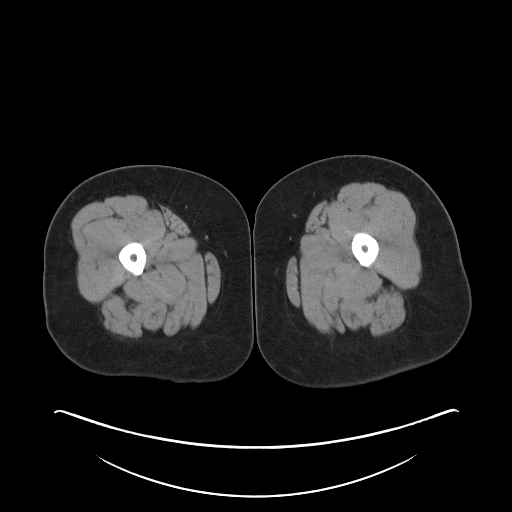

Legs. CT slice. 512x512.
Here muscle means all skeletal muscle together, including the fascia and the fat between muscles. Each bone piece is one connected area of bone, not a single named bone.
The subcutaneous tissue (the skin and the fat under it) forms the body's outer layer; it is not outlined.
Outlines (x, y in pixels):
bones 1: 357 232; 365 232; 366 233; 368 233; 376 239; 378 243; 378 245; 379 246; 379 250; 378 251; 378 253; 377 254; 377 256; 375 260; 368 267; 366 267; 365 266; 362 266; 356 259; 351 250; 351 241; 352 240; 352 238; 354 234
bones 2: 132 241; 136 241; 137 242; 139 242; 141 243; 146 253; 146 261; 145 262; 144 269; 142 273; 139 275; 134 275; 132 273; 128 271; 122 265; 122 264; 120 262; 118 258; 118 253; 121 249; 121 248; 127 243; 129 242; 131 242
left leg: 354 153; 377 155; 398 161; 417 172; 434 189; 448 211; 457 234; 462 262; 471 289; 471 315; 457 345; 447 355; 429 365; 365 385; 340 389; 310 389; 296 385; 278 375; 261 355; 255 340; 254 214; 265 192; 287 173; 318 159
muscle 1: 366 181; 377 182; 387 188; 402 192; 417 210; 415 239; 420 250; 422 275; 413 296; 409 317; 401 329; 379 341; 364 346; 331 345; 301 332; 290 321; 285 301; 286 265; 304 231; 305 222; 312 208; 337 187; 350 182; inner edge: 357 232; 365 232; 366 233; 368 233; 376 239; 378 243; 378 245; 379 246; 379 250; 378 251; 378 253; 377 254; 377 256; 375 260; 368 267; 366 267; 365 266; 362 266; 356 259; 351 250; 351 241; 352 240; 352 238; 354 234
muscle 2: 127 194; 141 195; 169 207; 187 224; 194 236; 217 258; 221 271; 221 296; 218 308; 208 321; 188 335; 159 343; 120 341; 104 328; 98 313; 78 291; 76 280; 77 252; 72 247; 69 236; 72 218; 80 208; 90 202; 113 195; inner edge: 132 241; 136 241; 137 242; 139 242; 141 243; 146 253; 146 261; 145 262; 144 269; 142 273; 139 275; 134 275; 132 273; 128 271; 122 265; 122 264; 120 262; 118 258; 118 253; 121 249; 121 248; 127 243; 129 242; 131 242
right leg: 132 164; 171 165; 204 174; 229 189; 246 212; 249 228; 252 231; 254 341; 251 353; 243 366; 221 381; 177 384; 154 379; 98 375; 78 367; 66 358; 47 331; 42 296; 43 244; 48 225; 55 210; 69 191; 84 179; 107 169